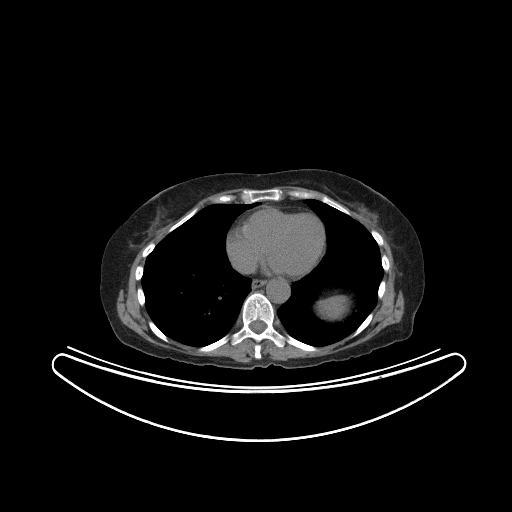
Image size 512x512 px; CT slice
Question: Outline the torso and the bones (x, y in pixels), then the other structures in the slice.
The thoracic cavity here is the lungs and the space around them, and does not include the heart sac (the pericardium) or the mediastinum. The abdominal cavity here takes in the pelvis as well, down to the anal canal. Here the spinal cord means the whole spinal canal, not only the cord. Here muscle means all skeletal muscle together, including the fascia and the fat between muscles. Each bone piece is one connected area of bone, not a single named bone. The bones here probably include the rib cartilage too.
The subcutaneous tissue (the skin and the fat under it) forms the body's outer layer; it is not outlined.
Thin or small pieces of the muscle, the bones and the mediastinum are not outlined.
Answer: {"torso":[[[299,168],[332,170],[358,179],[389,199],[412,224],[422,248],[425,287],[414,317],[412,334],[407,339],[359,357],[314,367],[286,369],[269,365],[245,370],[160,359],[125,345],[116,337],[99,294],[101,259],[111,235],[138,207],[159,191],[199,176]]],"bones":[{"outer":[[255,292],[263,294],[270,301],[282,328],[288,334],[316,347],[317,350],[306,351],[288,343],[279,347],[266,338],[260,342],[261,358],[256,359],[256,342],[247,337],[234,345],[228,341],[212,350],[199,351],[199,347],[213,343],[233,330],[246,297]],"hole":[[256,320],[259,320],[260,321],[262,321],[266,325],[266,326],[265,327],[265,328],[261,332],[260,332],[259,333],[257,333],[256,332],[255,332],[254,331],[253,331],[250,328],[250,327],[249,326],[249,325],[252,322],[253,322],[254,321],[255,321]]},[[275,187],[285,192],[299,190],[313,192],[318,195],[326,195],[345,207],[351,215],[318,199],[296,198],[286,194],[283,199],[277,201],[261,200],[243,203],[237,198],[228,203],[212,203],[212,199],[215,197],[228,194],[238,195],[244,189],[269,189]],[[197,206],[200,207],[200,209],[194,215],[193,215],[190,218],[186,220],[183,223],[182,223],[179,226],[175,228],[172,231],[168,233],[168,230],[174,224],[175,224],[181,218],[182,218],[186,214],[187,214],[194,207],[196,207]],[[371,312],[372,312],[373,313],[373,316],[372,317],[372,318],[371,319],[370,322],[367,325],[367,326],[361,332],[360,332],[356,336],[355,336],[354,337],[349,337],[349,336],[356,330],[356,329],[363,322],[363,321],[367,317],[367,316]],[[149,320],[151,320],[155,324],[155,325],[168,338],[168,339],[169,340],[169,341],[168,342],[166,342],[165,341],[164,341],[163,340],[162,340],[160,338],[159,338],[151,330],[151,329],[150,328],[150,327],[149,326],[149,325],[148,324],[148,321]],[[372,229],[374,229],[376,231],[377,231],[381,235],[381,236],[382,237],[382,238],[383,239],[383,244],[381,246],[379,246],[378,245],[378,244],[376,242],[376,241],[375,240],[375,239],[373,237],[373,236],[371,234],[371,233],[370,232],[370,231]],[[150,242],[153,242],[154,243],[155,243],[155,246],[154,247],[154,248],[151,251],[151,252],[150,253],[149,253],[148,254],[148,255],[145,258],[144,258],[142,256],[142,252],[143,251],[143,250],[144,249],[144,248]],[[382,279],[383,279],[385,281],[385,290],[384,291],[384,293],[383,294],[383,295],[382,296],[382,297],[380,299],[379,299],[378,298],[378,295],[377,294],[378,293],[378,288],[379,287],[379,285],[380,284],[380,282],[382,280]]],"mediastinum":[[[256,275],[260,275],[261,276],[282,276],[284,278],[287,278],[289,280],[295,281],[293,281],[291,283],[290,286],[290,295],[288,299],[280,305],[276,311],[271,301],[263,293],[258,291],[255,291],[249,294],[251,290],[251,279],[246,276],[255,276]],[[287,197],[305,200],[307,204],[312,209],[310,209],[308,207],[301,206],[300,205],[279,205],[278,204],[272,204],[271,203],[266,203],[265,204],[262,204],[256,207],[254,207],[258,205],[261,201],[275,201],[277,202],[278,201],[281,201]],[[251,208],[253,208],[252,208],[251,209],[249,209],[247,211],[246,211],[244,213],[243,213],[233,223],[233,224],[231,226],[231,225],[233,223],[233,222],[236,219],[236,218],[240,214],[241,214],[246,210],[247,210],[248,209],[250,209]]],"muscle":[[[336,201],[367,216],[383,231],[395,266],[394,287],[402,290],[404,298],[402,318],[368,340],[332,354],[286,360],[262,358],[261,342],[266,339],[279,348],[288,344],[306,352],[316,352],[317,347],[334,344],[348,336],[356,337],[371,322],[374,316],[372,311],[378,299],[385,293],[386,281],[383,276],[390,269],[390,261],[385,253],[380,252],[379,247],[384,244],[382,235],[374,228],[369,231],[351,216],[345,206]],[[190,209],[158,243],[150,241],[143,248],[141,256],[145,259],[144,264],[138,264],[134,271],[134,278],[141,285],[136,289],[137,301],[144,306],[150,318],[147,321],[150,330],[162,341],[168,343],[169,338],[198,347],[199,352],[209,352],[228,342],[234,346],[249,338],[255,342],[255,359],[249,362],[238,362],[226,356],[183,354],[155,345],[126,326],[117,314],[119,291],[127,289],[131,265],[142,246],[157,230]],[[236,188],[248,188],[244,188],[238,194],[235,194],[234,193],[221,194],[218,196],[213,197],[211,199],[211,203],[206,205],[202,208],[198,205],[194,206],[203,198],[205,198],[215,193],[218,193],[221,191],[229,190],[230,189],[235,189]]],"pericardium":[[[266,204],[279,206],[300,206],[308,208],[312,210],[318,216],[324,226],[326,243],[325,252],[317,265],[299,279],[292,280],[282,275],[261,275],[260,274],[243,275],[236,271],[230,263],[226,252],[226,236],[228,231],[243,214],[249,210]]],"spinal_cord":[[[256,320],[259,320],[260,321],[262,321],[266,325],[266,326],[265,327],[265,328],[261,332],[260,332],[259,333],[257,333],[256,332],[255,332],[254,331],[253,331],[250,328],[250,327],[249,326],[249,325],[252,322],[253,322],[254,321],[255,321]]],"thoracic_cavity":[[[256,202],[259,202],[258,204],[246,209],[235,218],[225,236],[225,252],[231,267],[239,274],[250,279],[250,290],[242,303],[232,330],[215,341],[202,346],[185,344],[168,337],[151,319],[145,307],[146,298],[141,279],[146,258],[167,234],[206,206]],{"outer":[[307,199],[318,200],[359,222],[370,233],[377,244],[383,270],[383,275],[377,288],[377,300],[372,310],[349,335],[334,343],[320,346],[303,342],[292,336],[283,328],[276,314],[280,306],[289,299],[292,283],[315,268],[326,253],[325,226],[308,204]],"hole":[[343,284],[347,284],[349,286],[351,286],[354,288],[355,290],[357,296],[355,299],[355,311],[344,321],[338,322],[337,323],[327,323],[318,319],[312,312],[311,306],[316,298],[318,297],[320,292],[323,290],[324,288],[331,288],[334,286],[341,286]]}],"abdominal_cavity":[[[343,284],[347,284],[349,286],[351,286],[354,288],[355,290],[357,296],[355,299],[355,311],[344,321],[338,322],[337,323],[327,323],[318,319],[312,312],[311,306],[316,298],[318,297],[320,292],[323,290],[324,288],[331,288],[334,286],[341,286]]]}